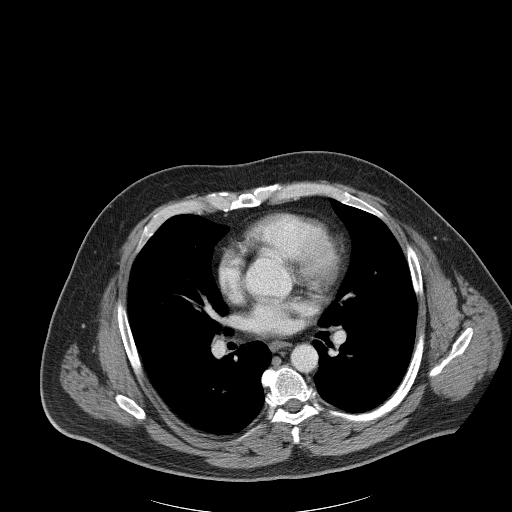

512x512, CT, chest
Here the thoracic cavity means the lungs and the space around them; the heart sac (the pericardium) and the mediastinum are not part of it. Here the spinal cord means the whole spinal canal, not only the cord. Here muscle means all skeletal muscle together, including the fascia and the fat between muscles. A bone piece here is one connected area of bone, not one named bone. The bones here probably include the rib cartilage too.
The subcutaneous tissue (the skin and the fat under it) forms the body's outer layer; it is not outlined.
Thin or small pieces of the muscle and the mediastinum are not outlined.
{"muscle":[{"outer":[[319,179],[390,203],[388,211],[427,240],[444,272],[448,276],[452,265],[493,306],[500,352],[465,397],[411,417],[395,434],[357,451],[317,456],[295,447],[283,461],[224,468],[94,418],[63,389],[61,362],[74,342],[83,353],[90,347],[102,293],[132,228],[169,200],[205,194],[161,207],[142,228],[128,272],[126,307],[116,302],[133,372],[139,375],[143,367],[174,414],[218,436],[242,432],[265,405],[265,419],[292,425],[292,442],[298,444],[298,425],[324,410],[318,396],[335,408],[328,409],[330,415],[348,421],[391,412],[411,389],[424,352],[424,332],[415,342],[416,296],[424,292],[420,262],[408,242],[405,255],[384,214],[364,199],[329,183],[280,183]],"holes":[[[467,327],[471,327],[473,330],[473,333],[469,341],[469,343],[464,351],[461,354],[457,355],[451,359],[449,362],[442,368],[441,371],[438,374],[434,376],[429,376],[428,375],[429,371],[435,365],[438,364],[441,360],[449,353],[453,342],[461,332]],[[117,394],[122,394],[125,396],[127,396],[129,398],[132,399],[136,403],[137,403],[144,410],[145,412],[145,418],[144,419],[138,419],[136,418],[133,415],[130,414],[128,412],[127,412],[125,410],[121,408],[118,405],[117,402],[115,400],[115,396]],[[258,423],[260,423],[261,424],[261,426],[259,428],[252,432],[249,435],[248,435],[240,441],[233,441],[232,442],[230,442],[231,441],[233,441],[238,436],[239,436],[241,434],[245,432],[248,429],[249,429],[251,427]]]}],"bones":[[[299,182],[329,184],[345,190],[379,210],[383,220],[325,195],[307,195],[281,202],[268,199],[252,207],[228,211],[217,209],[200,215],[173,215],[135,252],[145,225],[167,205],[184,200],[201,200],[206,194],[216,191],[224,190],[238,195],[257,186]],{"outer":[[281,366],[287,366],[295,370],[309,385],[312,385],[317,391],[318,402],[323,406],[323,410],[307,417],[297,425],[299,428],[298,443],[293,442],[292,424],[282,421],[271,422],[266,419],[265,394],[268,389],[262,386],[261,376],[267,368],[277,369]],"hole":[[293,398],[299,400],[302,403],[302,405],[301,406],[301,408],[299,410],[298,410],[295,412],[290,412],[289,411],[286,410],[283,407],[283,406],[286,403],[286,402],[288,400],[289,400],[290,399],[292,399]]},[[420,332],[423,332],[424,334],[424,344],[419,369],[410,389],[398,405],[391,411],[382,416],[367,421],[348,420],[339,416],[334,416],[329,413],[328,411],[329,409],[336,409],[347,413],[367,412],[378,407],[386,401],[397,389],[407,371],[415,343]],[[118,300],[121,300],[126,308],[128,323],[130,327],[130,330],[132,334],[134,343],[136,346],[142,364],[142,371],[139,374],[136,374],[134,372],[130,364],[124,347],[124,344],[121,337],[121,334],[119,330],[118,322],[117,321],[117,302]],[[467,327],[471,327],[473,330],[473,333],[469,341],[469,343],[464,351],[461,354],[457,355],[451,359],[449,362],[442,368],[441,371],[438,374],[434,376],[429,376],[428,375],[429,371],[435,365],[438,364],[441,360],[449,353],[453,342],[461,332]],[[407,243],[408,243],[414,250],[419,262],[420,270],[421,271],[421,276],[422,277],[422,282],[423,283],[423,292],[422,294],[417,294],[416,295],[413,289],[413,285],[412,284],[410,270],[409,269],[409,266],[408,265],[407,259],[406,258],[406,244]],[[117,394],[122,394],[125,396],[127,396],[129,398],[132,399],[136,403],[137,403],[144,410],[145,412],[145,418],[144,419],[138,419],[136,418],[133,415],[130,414],[128,412],[127,412],[125,410],[121,408],[118,405],[117,402],[115,400],[115,396]],[[258,423],[260,423],[261,424],[261,426],[259,428],[252,432],[249,435],[248,435],[240,441],[233,441],[232,442],[230,442],[231,441],[233,441],[238,436],[239,436],[241,434],[245,432],[248,429],[249,429],[251,427]]],"mediastinum":[[[326,306],[317,321],[319,329],[312,341],[318,354],[318,369],[313,376],[313,384],[309,384],[299,372],[287,365],[277,368],[268,367],[272,358],[268,347],[260,340],[243,341],[229,315],[229,308],[230,315],[239,328],[258,338],[287,338],[309,327]],[[317,195],[330,198],[334,212],[350,237],[349,263],[340,285],[349,259],[348,245],[343,233],[326,215],[299,207],[261,210],[237,224],[221,249],[217,285],[211,266],[214,247],[229,231],[229,227],[202,214],[257,207],[268,200],[281,203]]],"thoracic_cavity":[[[181,214],[199,215],[228,227],[213,247],[212,275],[238,337],[246,343],[260,341],[270,352],[270,362],[260,376],[261,386],[267,389],[263,408],[247,427],[237,433],[218,435],[202,431],[171,410],[144,369],[129,323],[127,286],[131,265],[160,226]],[[330,199],[369,213],[384,222],[405,256],[417,303],[414,346],[400,383],[381,404],[362,412],[347,412],[337,409],[324,401],[313,385],[314,376],[319,369],[319,354],[313,345],[320,329],[318,321],[336,297],[347,273],[352,250],[350,234],[335,212]]],"torso":[[[302,150],[350,154],[396,175],[461,234],[511,302],[511,330],[501,357],[484,391],[457,429],[353,468],[302,478],[259,481],[223,481],[159,471],[59,431],[46,415],[40,396],[43,346],[76,253],[106,204],[132,182],[167,167],[193,163],[243,163]]],"spinal_cord":[[[293,398],[299,400],[302,403],[302,405],[301,406],[301,408],[299,410],[298,410],[295,412],[290,412],[289,411],[286,410],[283,407],[283,406],[286,403],[286,402],[288,400],[289,400],[290,399],[292,399]]],"pericardium":[[[292,208],[299,208],[320,213],[330,219],[338,227],[347,245],[347,264],[332,299],[309,326],[291,336],[262,338],[240,328],[240,326],[232,317],[232,312],[230,308],[224,301],[224,298],[218,286],[218,272],[222,249],[236,226],[254,214],[265,210]]]}